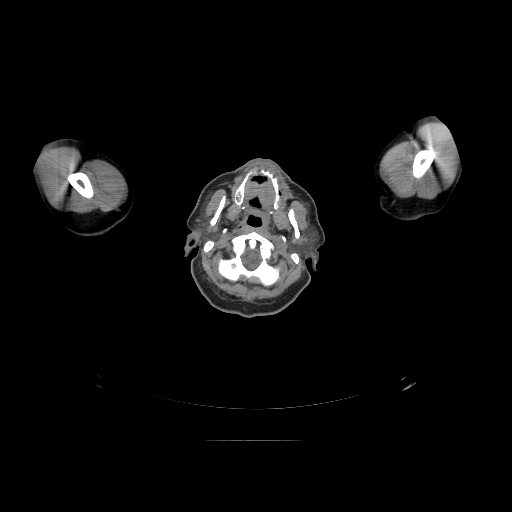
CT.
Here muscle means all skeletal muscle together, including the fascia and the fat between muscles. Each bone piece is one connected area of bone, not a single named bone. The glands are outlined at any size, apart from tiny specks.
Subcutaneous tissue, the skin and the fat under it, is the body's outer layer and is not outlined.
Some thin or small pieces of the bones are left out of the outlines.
Outlines (x, y in pixels):
muscle 1: 258,162 267,163 274,166 283,176 290,188 308,204 310,222 310,225 303,230 301,235 301,247 303,250 302,255 303,269 301,277 289,288 285,294 275,302 260,305 250,303 232,302 221,299 214,293 204,279 202,272 200,270 202,234 207,225 207,217 201,214 201,212 206,202 207,196 217,187 218,184 225,181 231,181 246,167 253,163; inner edges: 252,231 272,242 274,250 277,253 277,255 271,260 271,263 280,268 280,275 278,280 270,286 253,283 245,279 231,281 220,275 218,272 218,260 220,258 230,257 233,254 231,251 231,239 234,236 247,234, then 255,166 264,166 270,169 277,178 280,200 276,210 273,208 275,195 274,188 271,181 266,177 258,180 255,176 251,176 248,179 244,188 244,198 242,203 244,208 238,206 234,202 235,190 248,171, then 223,195 224,195 226,198 225,199 225,202 224,203 224,207 222,209 222,210 221,211 221,212 220,213 215,224 212,226 211,225 210,225 209,222 210,221 211,218 214,215 214,214 218,207 219,202, then 291,208 293,209 293,211 294,212 294,216 295,217 295,219 297,223 297,226 299,230 299,233 300,234 298,238 296,238 295,237 293,226 291,224 289,220 289,218 288,217 288,211 289,209, then 207,240 212,240 214,242 214,246 213,247 213,248 211,250 210,250 208,252 205,252 203,250 203,244, then 250,216 254,216 255,217 257,217 258,218 259,218 259,219 260,220 260,224 259,225 252,225 251,224 250,224 249,223 248,223 248,218 249,218 250,217, then 293,252 295,252 296,253 297,253 297,254 299,256 299,258 300,259 299,260 299,262 298,263 297,263 296,264 295,263 294,263 293,262 293,261 291,259 291,258 290,257 290,254 291,253 292,253, then 254,199 255,199 256,199 257,200 257,201 258,202 259,203 259,204 259,205 259,206 258,206 257,206 256,206 255,206 254,206 253,205 252,205 251,204 251,203 250,202 251,201 252,200 253,200
muscle 2: 50,144 71,145 77,148 83,158 86,160 87,159 88,160 101,159 111,164 120,172 126,182 127,185 126,198 116,209 89,216 71,212 63,208 58,209 54,207 49,202 44,193 37,172 39,158 45,148 with a hole at 76,171 81,171 83,172 87,175 88,178 90,180 90,182 92,185 92,187 94,191 94,194 91,198 86,198 82,195 81,195 69,183 69,182 67,180 68,175
muscle 3: 426,121 441,122 453,134 456,150 458,154 458,167 455,177 447,188 443,189 435,197 431,199 420,198 416,195 413,195 407,198 399,198 392,192 388,185 380,176 379,173 380,162 385,153 391,147 400,139; inner edge: 420,149 426,149 429,151 432,151 433,152 433,154 434,155 434,157 435,159 433,160 432,163 427,169 425,173 420,178 415,178 412,175 412,163 413,162 413,159 414,158 414,156 415,154
head: 253,158 273,160 311,195 325,240 318,250 316,269 309,258 306,260 311,279 291,304 272,315 243,317 210,305 197,288 190,271 191,259 198,250 194,247 185,256 184,247 190,232 186,221 203,187 217,175, around holes outlined by 250,216 254,216 255,217 257,217 258,218 259,218 259,219 260,220 260,224 259,225 252,225 251,224 250,224 249,223 248,223 248,218 249,218 250,217 and by 254,199 255,199 256,199 257,200 257,201 258,202 259,203 259,204 259,205 259,206 258,206 257,206 256,206 255,206 254,206 253,205 252,205 251,204 251,203 250,202 251,201 252,200 253,200
left arm: 426,115 436,115 453,134 463,164 462,173 455,188 441,210 437,213 426,215 415,220 402,220 387,214 381,209 378,200 379,197 383,195 385,192 375,179 374,165 380,152 396,135 414,121
parotid glands 1: 309,226 313,226 317,231 317,233 318,234 318,240 315,244 315,245 314,245 311,249 306,249 304,251 304,250 302,247 302,235 303,234 303,232 304,231 304,230 305,230 306,229 306,228 307,228
parotid glands 2: 198,215 203,215 206,217 206,225 205,226 205,228 204,229 203,232 201,234 201,235 200,234 199,234 198,235 197,234 196,234 194,231 194,230 195,229 195,224 196,223 196,219 197,218
brain: 247,248 248,248 250,250 254,250 257,248 257,249 258,250 258,252 259,253 259,257 260,258 260,260 257,264 257,265 253,268 249,268 248,267 247,267 244,264 244,262 242,259 242,255 245,252 245,251
bones 1: 252,231 272,242 274,250 277,253 277,255 271,260 271,263 280,268 280,275 278,280 270,286 253,283 245,279 231,281 220,275 218,272 218,260 220,258 230,257 233,254 231,251 231,239 234,236 247,234; inner edge: 247,248 248,248 250,250 254,250 257,248 257,249 258,250 258,252 259,253 259,257 260,258 260,260 257,264 257,265 253,268 249,268 248,267 247,267 244,264 244,262 242,259 242,255 245,252 245,251
bones 2: 255,166 257,167 264,166 270,169 277,178 280,200 278,203 278,208 276,210 273,208 275,193 272,183 268,178 259,175 251,176 245,184 244,198 242,203 244,208 238,206 234,202 235,190 243,180 248,171
bones 3: 76,171 81,171 83,172 87,175 88,178 90,180 90,182 92,185 92,187 94,191 94,194 91,198 86,198 82,195 81,195 69,183 69,182 67,180 68,175
bones 4: 420,149 426,149 429,151 432,151 433,152 433,154 434,155 434,157 435,159 433,160 432,163 427,169 425,173 420,178 415,178 412,175 412,163 413,162 413,159 414,158 414,156 415,154
bones 5: 223,195 224,195 226,198 225,199 225,202 224,203 224,207 222,209 222,210 221,211 221,212 220,213 215,224 212,226 211,225 210,225 209,222 210,221 211,218 214,215 214,214 218,207 219,202
bones 6: 291,208 293,209 293,211 294,212 294,216 295,217 295,219 297,223 297,226 299,230 299,233 300,234 298,238 296,238 295,237 293,226 291,224 289,220 289,218 288,217 288,211 289,209
bones 7: 207,240 212,240 214,242 214,246 213,247 213,248 211,250 210,250 208,252 205,252 203,250 203,244
bones 8: 293,252 295,252 296,253 297,253 297,254 299,256 299,258 300,259 299,260 299,262 298,263 297,263 296,264 295,263 294,263 293,262 293,261 291,259 291,258 290,257 290,254 291,253 292,253
right arm: 51,138 74,138 80,140 113,159 121,166 129,177 133,187 133,192 134,193 132,207 126,217 105,234 99,236 83,236 82,235 77,235 71,232 58,221 42,200 34,175 33,165 40,149 45,142 48,139